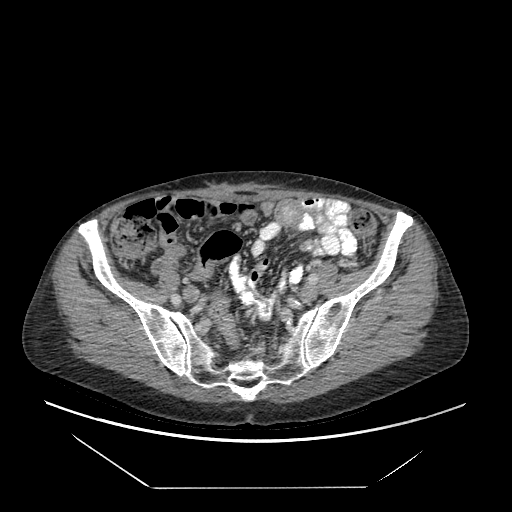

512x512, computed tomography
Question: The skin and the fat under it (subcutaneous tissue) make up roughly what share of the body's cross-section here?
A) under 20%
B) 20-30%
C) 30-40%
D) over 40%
Answer: B) 20-30%
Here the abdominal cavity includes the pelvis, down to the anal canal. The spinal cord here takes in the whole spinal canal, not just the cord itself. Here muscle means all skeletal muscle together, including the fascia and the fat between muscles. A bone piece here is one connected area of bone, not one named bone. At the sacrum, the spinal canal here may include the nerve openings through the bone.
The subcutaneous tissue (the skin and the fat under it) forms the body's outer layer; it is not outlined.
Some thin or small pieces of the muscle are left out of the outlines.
The muscle appears in 4 outlined pieces: piece 1: 414 218; 426 232; 438 264; 439 296; 424 346; 408 357; 385 365; 325 393; 301 401; 279 404; 264 399; 255 400; 256 396; 267 385; 289 386; 311 369; 317 368; 335 353; 356 304; 361 298; 384 282; 394 269; 402 238; 413 225; piece 2: 76 228; 89 251; 95 277; 106 289; 133 309; 161 363; 179 377; 184 376; 191 383; 205 389; 218 386; 228 387; 232 393; 238 395; 243 401; 217 404; 186 400; 76 357; 66 345; 65 330; 58 313; 51 277; 53 263; 62 246; piece 3: 226 184; 261 184; 314 191; 362 199; 397 210; 373 270; 362 282; 348 292; 326 299; 318 287; 316 274; 318 266; 322 262; 329 261; 337 266; 337 271; 340 274; 347 274; 354 269; 369 265; 377 252; 385 227; 385 224; 374 211; 344 199; 312 195; 254 201; 194 194; 156 194; 132 201; 118 209; 108 219; 105 226; 105 245; 99 231; 98 219; 92 217; 105 208; 154 191; 199 189; piece 4: 107 249; 113 261; 114 266; 120 273; 129 278; 143 282; 149 286; 156 285; 162 275; 169 270; 174 270; 179 276; 179 284; 177 288; 169 295; 167 306; 165 307; 160 304; 138 298; 123 287; 114 276; 112 267; 107 255. The bones are outlined by 398 210; 413 223; 394 267; 355 304; 334 353; 289 385; 267 384; 252 401; 228 386; 200 386; 165 366; 134 309; 96 277; 77 230; 96 218; 118 283; 138 299; 182 313; 212 348; 216 363; 248 356; 268 364; 304 312; 369 276; inner edge: 255 380; 257 380; 257 381; 254 384; 253 384; 251 386; 244 386; 243 385; 240 385; 239 384; 238 384; 236 382; 236 381; 254 381. The abdominal cavity is outlined by 162 194; 254 202; 335 198; 371 210; 384 227; 369 264; 347 273; 329 260; 317 266; 317 287; 325 300; 297 318; 272 361; 246 355; 219 364; 190 319; 166 307; 179 274; 169 269; 149 285; 120 272; 106 247; 106 226; 118 210. The spinal cord is outlined by 255 380; 257 380; 257 381; 254 384; 253 384; 251 386; 244 386; 243 385; 240 385; 239 384; 238 384; 236 382; 236 381; 254 381. The torso is outlined by 233 170; 281 170; 327 177; 356 185; 417 211; 440 243; 462 294; 469 319; 469 342; 463 357; 430 377; 358 408; 315 420; 268 425; 173 420; 147 413; 36 368; 23 351; 22 325; 43 268; 68 228; 94 208; 125 193; 188 175.